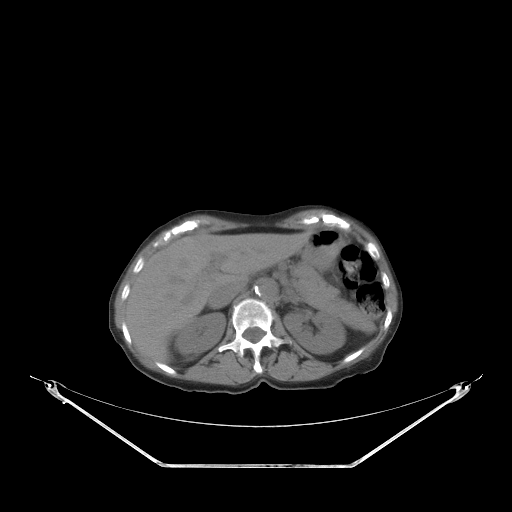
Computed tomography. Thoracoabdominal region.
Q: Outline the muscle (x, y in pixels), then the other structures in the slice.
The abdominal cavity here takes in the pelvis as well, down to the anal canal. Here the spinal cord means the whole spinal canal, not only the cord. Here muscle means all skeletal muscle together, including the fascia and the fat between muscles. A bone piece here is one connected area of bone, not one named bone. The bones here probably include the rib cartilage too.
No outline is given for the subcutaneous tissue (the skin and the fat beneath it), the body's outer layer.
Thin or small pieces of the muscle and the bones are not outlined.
A: {"muscle":[{"outer":[[308,209],[326,209],[327,210],[330,209],[333,211],[341,213],[359,223],[360,225],[375,239],[380,248],[380,250],[386,261],[388,268],[391,273],[397,291],[397,310],[393,322],[386,336],[381,343],[368,357],[360,360],[349,367],[337,370],[326,376],[324,376],[319,379],[316,379],[315,380],[290,382],[289,381],[280,381],[268,375],[259,375],[254,377],[251,380],[247,382],[239,384],[236,386],[233,386],[232,385],[225,385],[224,384],[214,384],[213,383],[197,382],[196,381],[184,380],[183,379],[178,379],[177,378],[169,377],[147,368],[134,356],[126,345],[124,340],[122,338],[120,331],[118,330],[115,324],[115,321],[114,320],[114,301],[119,286],[123,280],[123,278],[125,276],[125,274],[132,262],[135,259],[140,251],[162,230],[180,220],[198,214],[210,215],[221,219],[224,219],[229,221],[234,221],[235,222],[243,222],[244,223],[267,222],[268,223],[273,223],[279,221],[284,218],[286,218],[288,216],[296,212],[302,210],[307,210]],"holes":[[[251,227],[331,228],[365,249],[368,242],[376,246],[379,258],[375,262],[389,280],[384,290],[391,321],[386,329],[382,321],[358,356],[348,362],[321,360],[292,339],[290,344],[263,347],[262,372],[257,373],[250,349],[238,356],[231,349],[218,351],[216,346],[193,364],[174,367],[173,375],[133,341],[127,343],[122,331],[126,300],[121,293],[127,283],[132,285],[140,257],[145,262],[154,251],[184,235]],[[320,213],[330,213],[339,216],[348,222],[350,226],[347,230],[345,230],[337,226],[332,226],[331,225],[323,224],[321,221],[313,224],[304,224],[303,223],[300,223],[298,222],[300,219],[304,217],[308,217],[311,215],[318,215]],[[194,219],[199,219],[201,220],[201,222],[196,228],[179,233],[177,235],[174,235],[172,236],[166,243],[162,245],[160,245],[157,247],[154,247],[153,246],[153,243],[159,239],[167,230],[176,225],[182,223],[184,221],[187,220],[193,220]]]},[[275,314],[277,314],[278,315],[278,316],[281,321],[281,323],[283,326],[283,328],[284,329],[285,332],[291,339],[290,339],[289,338],[283,338],[282,337],[277,336],[276,335],[275,335],[272,332],[271,327],[272,326],[273,321],[275,318]],[[230,320],[230,322],[231,323],[231,325],[234,330],[234,337],[231,340],[230,340],[225,343],[222,343],[221,344],[220,344],[222,342],[222,341],[226,336],[226,333],[227,332],[227,330],[228,329],[228,326],[229,325],[229,322],[230,321]]],"bones":[{"outer":[[246,298],[263,301],[274,312],[271,332],[277,337],[291,340],[290,344],[262,348],[259,356],[261,373],[257,373],[253,368],[254,357],[250,349],[245,349],[242,356],[238,356],[231,349],[218,351],[218,346],[235,337],[231,322],[233,306]],"hole":[[254,327],[257,327],[258,328],[261,329],[264,332],[264,334],[263,335],[263,336],[258,341],[257,341],[256,342],[252,342],[251,341],[250,341],[249,340],[246,339],[243,336],[243,333],[245,331],[245,330],[246,330],[248,328],[253,328]]},[[320,213],[330,213],[339,216],[348,222],[350,226],[347,230],[345,230],[337,226],[332,226],[331,225],[323,224],[321,221],[313,224],[304,224],[303,223],[300,223],[298,222],[300,219],[304,217],[308,217],[311,215],[318,215]],[[194,219],[199,219],[201,220],[201,222],[196,228],[179,233],[177,235],[174,235],[172,236],[166,243],[162,245],[160,245],[157,247],[154,247],[153,246],[153,243],[159,239],[167,230],[176,225],[182,223],[184,221],[187,220],[193,220]],[[368,242],[372,242],[376,246],[376,247],[377,248],[377,249],[378,250],[378,251],[379,252],[379,258],[378,259],[374,259],[370,255],[370,254],[367,251],[367,250],[366,249],[366,244]],[[363,346],[364,347],[364,349],[363,350],[363,351],[358,356],[357,356],[355,358],[352,359],[350,361],[349,361],[348,362],[343,362],[342,361],[343,358],[344,358],[349,354],[350,354],[351,353],[356,351],[358,349],[359,349],[361,347],[362,347]],[[123,321],[126,322],[126,324],[127,325],[127,328],[129,331],[129,334],[132,340],[132,343],[131,344],[129,344],[127,343],[127,342],[125,340],[125,338],[124,337],[124,335],[122,331],[122,322]],[[156,361],[158,361],[159,362],[161,362],[164,364],[166,364],[168,366],[169,366],[170,367],[173,368],[175,370],[176,373],[174,375],[173,375],[172,374],[170,374],[169,373],[166,372],[164,370],[161,369],[158,366],[157,366],[155,364],[155,362]],[[140,257],[142,257],[143,258],[143,259],[144,260],[144,264],[143,265],[143,267],[137,273],[135,273],[134,272],[133,272],[133,268],[134,267],[134,266],[135,265],[135,264],[136,263],[136,262],[137,261],[137,260]],[[387,309],[389,309],[391,311],[391,321],[390,322],[390,323],[389,324],[389,325],[388,326],[388,327],[386,329],[384,329],[384,328],[383,327],[383,324],[384,323],[384,319],[385,318],[385,316],[386,315],[386,311],[387,310]]],"abdominal_cavity":[[[251,227],[331,228],[358,242],[375,260],[385,291],[385,312],[375,335],[341,359],[325,361],[314,357],[288,335],[273,310],[280,286],[262,277],[232,306],[219,345],[193,364],[172,367],[141,351],[128,328],[126,300],[134,279],[152,253],[184,235]]],"spinal_cord":[[[254,327],[257,327],[258,328],[261,329],[264,332],[264,334],[263,335],[263,336],[258,341],[257,341],[256,342],[252,342],[251,341],[250,341],[249,340],[246,339],[243,336],[243,333],[245,331],[245,330],[246,330],[248,328],[253,328]]],"torso":[[[303,204],[327,204],[357,216],[378,236],[396,273],[403,296],[402,317],[382,361],[374,370],[323,389],[280,390],[262,382],[247,392],[229,394],[185,391],[168,386],[144,375],[130,363],[109,330],[108,300],[124,266],[154,228],[193,209],[262,214]]],"mediastinum":[[[262,278],[266,278],[269,280],[271,280],[275,282],[279,286],[279,291],[278,292],[278,300],[275,304],[274,307],[272,309],[263,300],[261,300],[258,298],[255,298],[254,297],[246,297],[244,298],[252,290],[255,283],[259,279],[261,279]]]}